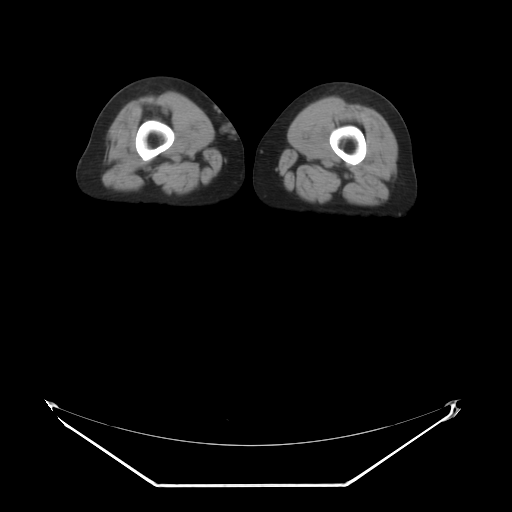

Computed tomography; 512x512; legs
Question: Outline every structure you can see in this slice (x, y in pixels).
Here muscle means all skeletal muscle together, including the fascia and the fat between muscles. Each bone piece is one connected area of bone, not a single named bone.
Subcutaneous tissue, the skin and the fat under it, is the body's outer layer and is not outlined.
Answer: Outlines (x, y in pixels):
right leg: (150, 75) (176, 76) (193, 83) (217, 104) (234, 125) (244, 146) (245, 178) (240, 190) (231, 199) (206, 207) (171, 207) (145, 203) (131, 204) (98, 201) (84, 195) (79, 190) (75, 179) (76, 165) (88, 142) (92, 126) (99, 112) (106, 102) (123, 86) (136, 79)
muscle 1: (328, 95) (340, 95) (373, 107) (380, 112) (386, 119) (395, 135) (398, 144) (397, 178) (395, 181) (395, 188) (393, 194) (388, 201) (381, 207) (364, 207) (338, 203) (313, 204) (298, 202) (292, 198) (274, 177) (274, 168) (277, 154) (290, 123) (295, 116) (309, 103) with a hole at (348, 124) (354, 125) (358, 127) (363, 132) (363, 134) (365, 138) (365, 141) (366, 142) (366, 153) (365, 154) (365, 156) (359, 163) (355, 165) (352, 165) (351, 164) (348, 164) (346, 163) (334, 152) (329, 143) (329, 135) (330, 133) (335, 128) (343, 125) (347, 125)
muscle 2: (163, 90) (174, 90) (185, 95) (196, 102) (209, 117) (217, 135) (226, 149) (227, 154) (226, 162) (219, 179) (204, 190) (199, 192) (193, 192) (184, 196) (164, 196) (157, 194) (115, 192) (103, 188) (99, 178) (100, 154) (105, 134) (114, 118) (121, 108) (130, 99), around a hole outlined by (149, 119) (154, 119) (155, 120) (158, 120) (161, 122) (163, 122) (167, 124) (172, 129) (174, 133) (174, 140) (172, 144) (166, 150) (160, 153) (152, 159) (148, 161) (145, 161) (141, 158) (136, 150) (136, 148) (135, 147) (135, 137) (136, 136) (137, 130) (142, 122)
bones 1: (149, 119) (154, 119) (155, 120) (158, 120) (161, 122) (163, 122) (167, 124) (172, 129) (174, 133) (174, 140) (172, 144) (166, 150) (160, 153) (152, 159) (148, 161) (145, 161) (141, 158) (136, 150) (136, 148) (135, 147) (135, 137) (136, 136) (137, 130) (142, 122)
bones 2: (348, 124) (354, 125) (358, 127) (363, 132) (363, 134) (365, 138) (365, 141) (366, 142) (366, 153) (365, 154) (365, 156) (359, 163) (355, 165) (352, 165) (351, 164) (348, 164) (346, 163) (334, 152) (329, 143) (329, 135) (330, 133) (335, 128) (343, 125) (347, 125)
left leg: (328, 81) (351, 81) (368, 86) (385, 96) (403, 117) (411, 138) (413, 162) (418, 186) (415, 204) (405, 217) (401, 219) (389, 217) (358, 219) (353, 217) (278, 211) (264, 205) (256, 196) (252, 185) (252, 168) (255, 150) (259, 140) (276, 117) (294, 98) (308, 88)